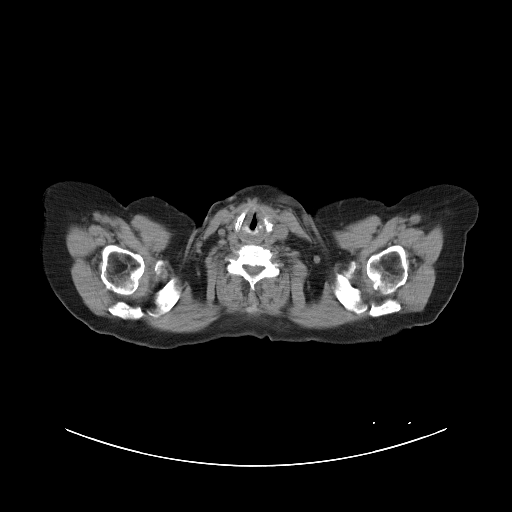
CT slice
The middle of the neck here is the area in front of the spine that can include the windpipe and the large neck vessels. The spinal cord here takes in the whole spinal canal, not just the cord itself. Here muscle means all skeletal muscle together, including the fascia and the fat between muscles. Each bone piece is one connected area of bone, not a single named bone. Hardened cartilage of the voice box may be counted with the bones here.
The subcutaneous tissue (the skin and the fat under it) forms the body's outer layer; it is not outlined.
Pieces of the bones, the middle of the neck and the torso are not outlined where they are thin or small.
{"bones":[[[108,244],[115,244],[134,253],[137,253],[143,259],[144,262],[144,270],[141,277],[139,279],[138,286],[136,290],[132,294],[124,295],[123,294],[116,293],[110,289],[107,289],[100,277],[100,274],[101,273],[101,269],[100,268],[101,251]],[[397,244],[402,246],[404,248],[407,255],[407,259],[408,260],[407,278],[406,281],[402,285],[398,287],[395,291],[389,294],[383,295],[379,291],[375,290],[373,288],[372,281],[368,277],[366,272],[366,263],[368,258],[371,255],[375,254],[389,246]],{"outer":[[245,244],[261,245],[269,249],[274,254],[272,259],[279,263],[278,275],[275,277],[264,277],[260,279],[254,285],[254,289],[252,291],[250,290],[248,282],[241,275],[230,274],[226,269],[226,266],[228,263],[227,258],[232,255],[232,250],[238,249]],"hole":[[245,265],[247,265],[248,266],[259,266],[260,267],[262,267],[262,269],[257,274],[255,274],[254,275],[251,275],[250,274],[249,274],[247,272],[247,271],[246,270],[246,269],[244,267],[244,266]]},[[352,260],[355,261],[356,266],[349,281],[354,287],[360,290],[362,300],[369,305],[372,302],[379,304],[387,298],[394,299],[401,306],[401,308],[397,312],[372,317],[367,311],[358,314],[349,310],[345,308],[338,300],[334,294],[335,274],[342,273]],[[173,277],[176,277],[177,278],[177,282],[176,284],[181,290],[179,298],[177,300],[177,301],[168,311],[157,317],[154,317],[153,316],[151,316],[147,314],[147,310],[151,310],[155,307],[155,305],[154,304],[154,297],[155,296],[156,292],[171,278]],[[118,301],[124,301],[126,303],[127,303],[131,306],[133,306],[134,307],[135,307],[136,306],[139,306],[144,312],[144,315],[141,318],[140,318],[139,319],[123,319],[118,316],[113,315],[108,310],[108,308],[110,306],[112,306],[116,302],[117,302]],[[245,209],[247,209],[247,210],[246,211],[246,212],[244,215],[244,217],[241,222],[241,225],[240,226],[239,229],[237,231],[235,231],[235,230],[234,229],[234,223],[235,222],[235,220],[236,219],[236,218],[241,213],[241,212],[242,211],[243,211]],[[266,215],[267,216],[268,216],[268,220],[269,221],[270,221],[273,224],[273,225],[272,226],[272,229],[271,230],[271,231],[270,231],[269,232],[267,232],[267,231],[266,230],[266,227],[265,226],[265,224],[263,221],[263,217],[264,217]]],"spinal_cord":[[[245,265],[247,265],[248,266],[259,266],[260,267],[262,267],[262,269],[257,274],[255,274],[254,275],[251,275],[250,274],[249,274],[247,272],[247,271],[246,270],[246,269],[244,267],[244,266]]],"muscle":[{"outer":[[254,196],[289,205],[327,245],[333,229],[370,214],[419,213],[440,223],[444,243],[424,309],[399,313],[401,304],[390,297],[365,302],[350,281],[357,266],[352,259],[334,274],[333,294],[345,309],[371,317],[332,328],[224,314],[199,331],[169,332],[148,325],[140,319],[142,308],[124,300],[107,308],[118,317],[96,315],[75,288],[65,244],[68,227],[89,210],[148,216],[172,231],[170,253],[182,258],[218,210]],"holes":[[[108,244],[115,244],[134,253],[137,253],[143,259],[144,262],[144,270],[141,277],[139,279],[138,286],[136,290],[132,294],[124,295],[123,294],[116,293],[110,289],[107,289],[100,277],[100,274],[101,273],[101,269],[100,268],[101,251]],[[252,206],[259,207],[268,216],[274,224],[277,225],[282,224],[285,226],[288,231],[287,237],[281,241],[273,241],[271,243],[254,242],[253,241],[235,241],[234,242],[221,237],[218,233],[218,230],[222,227],[227,228],[231,227],[238,215],[245,209]],[[397,244],[402,246],[404,248],[407,255],[407,259],[408,260],[407,278],[406,281],[402,285],[398,287],[395,291],[389,294],[383,295],[379,291],[375,290],[373,288],[372,281],[368,277],[366,272],[366,263],[368,258],[371,255],[375,254],[389,246]],[[245,244],[261,245],[269,249],[274,254],[272,259],[279,263],[278,275],[275,277],[264,277],[260,279],[254,285],[254,289],[252,291],[250,290],[248,282],[241,275],[230,274],[226,269],[226,266],[228,263],[227,258],[232,255],[232,250],[238,249]],[[173,277],[176,277],[177,278],[177,282],[176,284],[181,290],[179,298],[177,300],[177,301],[168,311],[157,317],[154,317],[153,316],[151,316],[147,314],[147,310],[151,310],[155,307],[155,305],[154,304],[154,297],[155,296],[156,292],[171,278]],[[158,260],[162,260],[163,261],[163,264],[162,265],[162,271],[161,272],[161,273],[159,275],[157,275],[156,274],[156,273],[155,272],[155,270],[154,269],[154,267],[155,266],[155,263]],[[252,305],[253,305],[254,305],[254,306],[255,307],[255,308],[255,309],[255,310],[254,310],[253,311],[252,312],[251,312],[250,312],[249,312],[248,312],[247,311],[247,310],[247,309],[247,308],[248,307],[249,307],[250,306],[251,306]]]}],"middle_of_the_neck":[[[252,206],[259,207],[265,213],[262,221],[267,233],[272,231],[274,224],[282,224],[288,231],[287,237],[281,241],[273,241],[271,243],[234,242],[221,237],[218,230],[222,227],[229,228],[233,224],[233,229],[237,232],[242,225],[248,210],[247,208]]],"torso":[[[146,195],[195,219],[183,254],[188,284],[250,328],[288,321],[319,296],[328,247],[314,205],[379,199],[387,205],[353,248],[351,280],[368,300],[421,325],[353,345],[240,336],[153,349],[97,333],[75,317],[151,302],[172,282],[169,257],[123,206]]],"right_arm":[[[63,178],[84,180],[106,189],[122,205],[142,232],[162,249],[171,263],[172,278],[169,286],[159,296],[151,301],[139,304],[102,306],[78,316],[74,316],[58,299],[51,289],[45,276],[39,247],[40,234],[44,220],[42,194],[50,183]]],"left_arm":[[[437,183],[452,183],[466,188],[476,197],[479,211],[476,222],[467,234],[463,258],[463,272],[457,287],[437,318],[429,324],[422,325],[395,308],[378,304],[365,297],[356,288],[352,280],[350,259],[356,244],[386,206],[396,203],[402,197],[415,190]]],"head_and_neck":[[[256,182],[265,182],[278,186],[297,199],[316,221],[324,236],[327,247],[327,262],[323,282],[316,299],[296,316],[266,327],[243,325],[211,308],[198,297],[189,284],[184,271],[184,254],[187,244],[196,225],[203,221],[212,204],[225,198],[237,189]]]}